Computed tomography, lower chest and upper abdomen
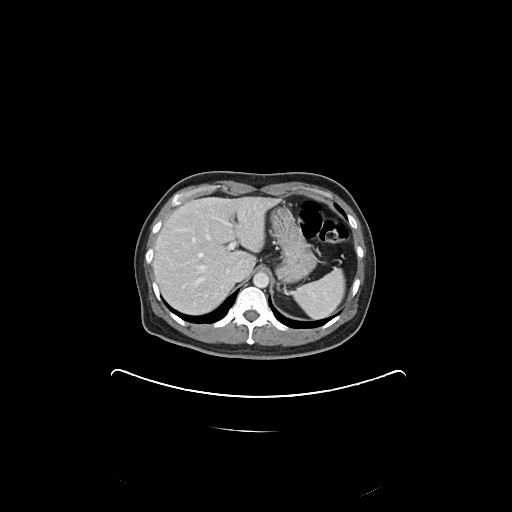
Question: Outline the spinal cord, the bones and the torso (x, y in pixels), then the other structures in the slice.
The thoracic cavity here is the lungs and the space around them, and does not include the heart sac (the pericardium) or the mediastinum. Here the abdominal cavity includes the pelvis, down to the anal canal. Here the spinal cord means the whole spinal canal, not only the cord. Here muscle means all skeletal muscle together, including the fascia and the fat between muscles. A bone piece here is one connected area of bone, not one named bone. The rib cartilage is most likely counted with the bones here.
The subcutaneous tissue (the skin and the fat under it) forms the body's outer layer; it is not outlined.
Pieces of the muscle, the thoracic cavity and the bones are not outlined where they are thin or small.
Answer: spinal cord: (248, 310) (253, 310) (254, 311) (255, 311) (258, 314) (258, 316) (255, 319) (254, 319) (253, 320) (252, 320) (251, 321) (250, 321) (249, 320) (248, 320) (244, 316) (244, 313) (246, 311) (247, 311)
bones 1: (247, 286) (259, 288) (267, 297) (268, 305) (274, 316) (290, 328) (280, 330) (269, 322) (262, 326) (255, 326) (252, 330) (254, 342) (248, 344) (246, 341) (249, 332) (246, 325) (237, 325) (232, 319) (223, 326) (214, 327) (212, 323) (221, 319) (228, 312) (239, 290) with a hole at (248, 310) (253, 310) (254, 311) (255, 311) (258, 314) (258, 316) (255, 319) (254, 319) (253, 320) (252, 320) (251, 321) (250, 321) (249, 320) (248, 320) (244, 316) (244, 313) (246, 311) (247, 311)
bones 2: (199, 188) (198, 190) (191, 193) (188, 196) (185, 197) (179, 204) (177, 205) (174, 205) (173, 206) (171, 205) (171, 202) (172, 201) (173, 196) (176, 193) (182, 193) (183, 192) (186, 192) (190, 190) (193, 190) (194, 189) (198, 189)
bones 3: (355, 278) (358, 278) (359, 279) (359, 286) (358, 287) (358, 289) (357, 290) (357, 291) (356, 292) (356, 293) (353, 296) (352, 296) (351, 295) (351, 287) (352, 286) (352, 284) (353, 283) (353, 282) (354, 281) (354, 280) (355, 279)
bones 4: (149, 248) (153, 248) (153, 257) (152, 258) (152, 260) (151, 261) (151, 263) (148, 263) (146, 261) (146, 260) (145, 259) (145, 253) (146, 252) (146, 251)
bones 5: (154, 280) (155, 280) (155, 281) (157, 284) (157, 286) (159, 289) (159, 293) (161, 296) (161, 298) (162, 299) (162, 300) (158, 300) (158, 299) (156, 297) (156, 296) (155, 295) (155, 293) (154, 292) (154, 290) (153, 289) (153, 287) (152, 286) (152, 282)
bones 6: (169, 310) (170, 311) (171, 311) (173, 313) (174, 313) (176, 315) (177, 315) (180, 318) (181, 318) (183, 320) (184, 320) (186, 322) (187, 322) (187, 324) (186, 324) (185, 325) (182, 325) (181, 324) (180, 324) (178, 322) (177, 322) (170, 315) (170, 314) (169, 313)
bones 7: (338, 314) (339, 314) (339, 315) (340, 316) (339, 317) (339, 318) (332, 324) (329, 325) (327, 327) (326, 327) (325, 328) (320, 328) (319, 327) (320, 327) (322, 325) (323, 325) (325, 323) (326, 323) (329, 320) (330, 320) (333, 317) (334, 317) (336, 315) (337, 315)
bones 8: (347, 214) (350, 214) (354, 218) (354, 219) (355, 220) (355, 221) (356, 222) (356, 224) (357, 225) (357, 226) (356, 227) (356, 228) (352, 228) (351, 227) (351, 226) (350, 225) (350, 224) (349, 223) (349, 222) (348, 221) (348, 219) (347, 218) (347, 216) (346, 215)
bones 9: (160, 220) (161, 220) (162, 221) (162, 223) (161, 224) (161, 226) (159, 228) (159, 230) (156, 233) (153, 233) (152, 232) (152, 229) (153, 228) (153, 227) (154, 226) (154, 225) (158, 221) (159, 221)
bones 10: (357, 245) (358, 245) (359, 246) (360, 246) (361, 247) (361, 248) (362, 249) (362, 250) (363, 251) (363, 256) (361, 258) (358, 258) (358, 257) (357, 256) (357, 255) (356, 254) (356, 246)
bones 11: (309, 189) (314, 189) (315, 190) (320, 190) (321, 191) (323, 191) (324, 192) (326, 192) (327, 193) (329, 193) (331, 195) (331, 197) (330, 198) (329, 198) (328, 197) (326, 197) (324, 195) (322, 195) (321, 194) (320, 194) (319, 193) (318, 193) (311, 189)
torso: (212, 170) (254, 173) (313, 172) (334, 179) (349, 191) (370, 228) (376, 258) (375, 284) (369, 307) (360, 328) (349, 339) (334, 348) (311, 355) (285, 359) (243, 359) (203, 353) (168, 342) (144, 329) (133, 265) (134, 249) (142, 224) (161, 196) (174, 183) (189, 175)
thoracic cavity 1: (238, 290) (234, 302) (228, 309) (227, 312) (221, 318) (211, 323) (196, 323) (191, 321) (186, 321) (170, 310) (163, 300) (163, 299) (164, 301) (174, 310) (182, 314) (185, 314) (188, 316) (202, 316) (213, 312) (217, 309) (230, 295) (235, 291)
thoracic cavity 2: (268, 298) (270, 299) (273, 307) (280, 314) (286, 318) (292, 320) (311, 322) (312, 321) (322, 320) (326, 318) (329, 318) (333, 315) (337, 314) (320, 326) (308, 327) (307, 328) (294, 328) (290, 327) (288, 325) (281, 322) (275, 316) (273, 310) (269, 305)
thoracic cavity 3: (335, 202) (338, 205) (339, 205) (339, 206) (343, 210) (343, 211) (346, 214) (345, 215) (346, 216) (346, 218) (337, 209) (337, 208) (335, 206)
abdominal cavity: (224, 190) (236, 194) (269, 196) (306, 191) (334, 202) (352, 229) (357, 257) (355, 277) (341, 311) (311, 321) (286, 317) (272, 303) (272, 275) (265, 266) (257, 267) (240, 289) (209, 313) (188, 315) (165, 301) (152, 270) (153, 247) (162, 224) (173, 209) (185, 202)
mediastinum: (259, 267) (265, 267) (267, 268) (271, 275) (271, 293) (270, 294) (270, 298) (268, 297) (266, 295) (266, 294) (259, 287) (257, 287) (254, 285) (247, 285) (243, 287) (244, 284) (246, 282) (248, 278) (252, 274) (252, 273) (257, 268)
muscle 1: (218, 180) (231, 180) (255, 187) (292, 181) (304, 182) (335, 193) (352, 208) (360, 222) (367, 252) (364, 283) (361, 288) (357, 311) (351, 319) (329, 334) (300, 345) (282, 346) (254, 343) (254, 328) (262, 327) (269, 323) (280, 331) (287, 331) (291, 328) (307, 329) (318, 327) (325, 329) (336, 322) (340, 318) (340, 312) (350, 294) (353, 297) (359, 289) (360, 279) (356, 277) (356, 272) (358, 259) (364, 256) (364, 251) (360, 245) (355, 244) (353, 229) (356, 229) (358, 226) (355, 218) (350, 213) (346, 213) (335, 201) (306, 190) (294, 190) (281, 195) (269, 195) (262, 193) (236, 193) (224, 189) (193, 197) (180, 204) (185, 198) (200, 189) (199, 187) (182, 192) (176, 192) (180, 189) (191, 185) (212, 183), around a hole outlined by (309, 189) (314, 189) (315, 190) (320, 190) (321, 191) (323, 191) (324, 192) (326, 192) (327, 193) (329, 193) (331, 195) (331, 197) (330, 198) (329, 198) (328, 197) (326, 197) (324, 195) (322, 195) (321, 194) (320, 194) (319, 193) (318, 193) (311, 189)
muscle 2: (144, 255) (145, 261) (151, 264) (151, 286) (154, 295) (158, 301) (163, 301) (169, 315) (177, 323) (182, 326) (188, 322) (211, 324) (214, 328) (220, 328) (232, 320) (237, 326) (246, 326) (246, 343) (203, 342) (180, 332) (157, 316) (148, 298) (143, 267)
muscle 3: (171, 196) (172, 196) (172, 198) (170, 202) (170, 205) (172, 207) (177, 206) (172, 209) (163, 222) (160, 219) (153, 225) (151, 229) (151, 232) (153, 234) (157, 233) (157, 234) (155, 237) (153, 246) (149, 247) (146, 250) (146, 242) (150, 231) (150, 226) (161, 208)